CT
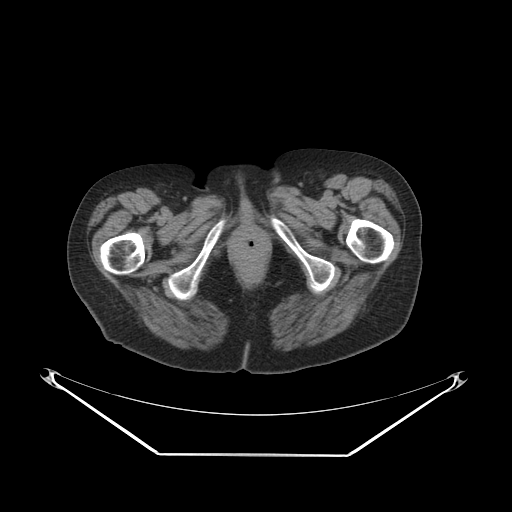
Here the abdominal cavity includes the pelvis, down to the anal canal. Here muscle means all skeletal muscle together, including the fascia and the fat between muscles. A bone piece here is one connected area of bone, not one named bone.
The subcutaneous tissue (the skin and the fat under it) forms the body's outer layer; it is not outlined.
The abdominal cavity is outlined by 244 227; 253 227; 256 230; 267 236; 270 241; 267 257; 265 260; 265 265; 263 268; 262 275; 251 287; 246 285; 242 281; 242 279; 240 277; 240 274; 238 273; 238 270; 236 269; 235 262; 231 255; 231 251; 229 245; 232 237. The torso is outlined by 298 148; 369 154; 394 166; 410 185; 422 216; 422 269; 410 317; 396 336; 351 357; 282 374; 186 371; 103 337; 72 287; 66 259; 70 223; 95 181; 128 166; 171 162; 192 168; 201 187; 215 165; 249 161; 267 167; 278 155. The muscle is outlined by 345 172; 387 180; 405 216; 404 241; 361 316; 309 348; 276 353; 270 344; 268 315; 306 288; 298 263; 275 240; 257 290; 237 282; 224 248; 199 283; 224 217; 194 259; 166 278; 176 299; 190 300; 198 285; 228 316; 228 334; 211 350; 181 349; 154 335; 89 255; 95 206; 124 189; 149 188; 178 212; 197 196; 228 192; 234 215; 247 201; 265 209; 271 187; 290 184; 310 195; inner edges: 244 227; 253 227; 256 230; 267 236; 270 241; 267 257; 265 260; 265 265; 263 268; 262 275; 251 287; 246 285; 242 281; 242 279; 240 277; 240 274; 238 273; 238 270; 236 269; 235 262; 231 255; 231 251; 229 245; 232 237, then 356 218; 361 218; 362 219; 367 219; 368 220; 370 220; 380 225; 392 234; 394 239; 394 246; 391 253; 387 259; 381 262; 375 263; 374 264; 366 263; 360 260; 347 247; 345 243; 345 237; 348 232; 348 230; 350 227; 351 222, then 126 232; 136 232; 141 236; 143 240; 143 243; 145 248; 145 259; 143 264; 135 271; 133 271; 126 275; 117 275; 109 272; 103 267; 99 256; 100 254; 99 252; 99 248; 101 244; 109 238; 111 238; 114 236; 116 236, then 271 216; 273 216; 281 220; 291 230; 299 244; 308 253; 312 255; 323 258; 331 262; 335 266; 335 275; 331 284; 321 293; 314 293; 309 288; 307 283; 308 273; 305 266; 298 258; 291 248; 276 233; 270 223; 270 217. The bones appear in 4 outlined pieces: piece 1: 356 218; 361 218; 362 219; 367 219; 368 220; 370 220; 380 225; 392 234; 394 239; 394 246; 391 253; 387 259; 381 262; 375 263; 374 264; 366 263; 360 260; 347 247; 345 243; 345 237; 348 232; 348 230; 350 227; 351 222; piece 2: 126 232; 136 232; 141 236; 143 240; 143 243; 145 248; 145 259; 143 264; 135 271; 133 271; 126 275; 117 275; 109 272; 103 267; 99 256; 100 254; 99 252; 99 248; 101 244; 109 238; 111 238; 114 236; 116 236; piece 3: 271 216; 273 216; 281 220; 291 230; 299 244; 308 253; 312 255; 323 258; 331 262; 335 266; 335 275; 331 284; 321 293; 314 293; 309 288; 307 283; 308 273; 305 266; 298 258; 291 248; 276 233; 270 223; 270 217; piece 4: 222 218; 225 219; 225 224; 223 231; 210 251; 209 255; 206 259; 206 261; 199 274; 196 293; 190 299; 187 300; 180 300; 176 298; 172 295; 169 290; 167 284; 168 276; 170 274; 188 266; 195 259; 202 248; 204 240; 209 230.